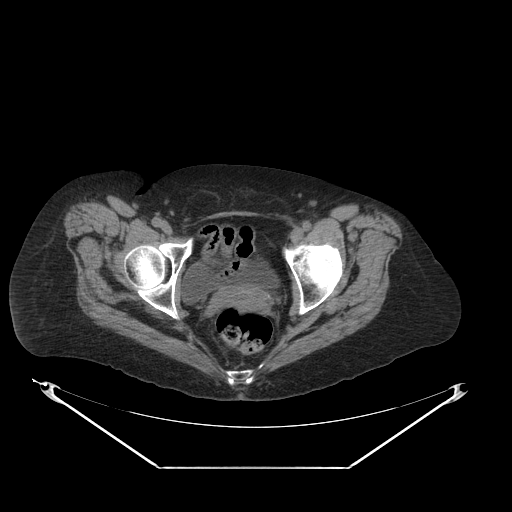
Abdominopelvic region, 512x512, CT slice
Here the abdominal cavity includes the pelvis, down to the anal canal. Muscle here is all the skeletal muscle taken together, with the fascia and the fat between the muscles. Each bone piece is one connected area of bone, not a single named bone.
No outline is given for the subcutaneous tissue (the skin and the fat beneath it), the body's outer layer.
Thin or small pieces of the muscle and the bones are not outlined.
The muscle is outlined by [[102,193],[123,197],[142,215],[173,221],[228,210],[276,212],[299,218],[318,216],[341,204],[368,204],[395,219],[402,240],[390,258],[389,287],[375,317],[339,341],[266,373],[258,384],[250,384],[254,380],[253,367],[260,369],[265,364],[262,360],[290,322],[291,275],[298,292],[297,314],[314,309],[334,291],[343,275],[339,248],[329,242],[287,246],[290,228],[279,219],[256,215],[202,220],[186,229],[185,241],[132,247],[122,259],[127,281],[141,299],[174,320],[181,318],[175,291],[184,265],[180,280],[180,304],[187,313],[184,319],[225,368],[222,370],[228,384],[217,384],[188,364],[94,324],[81,310],[76,297],[76,268],[66,247],[64,212],[74,201]]. The torso is outlined by [[209,163],[296,171],[399,208],[458,288],[462,312],[453,336],[352,379],[266,401],[193,397],[139,380],[108,365],[71,357],[41,357],[27,351],[13,331],[8,283],[23,240],[45,201],[62,185],[87,173],[130,169],[143,174],[149,184],[173,170]]. The bones appear in 3 outlined pieces: piece 1: [[190,237],[193,240],[192,251],[184,261],[175,282],[174,301],[177,313],[180,318],[177,320],[153,307],[141,298],[125,275],[123,259],[125,255],[132,248],[140,244],[149,244],[153,246],[157,246],[164,242],[182,243],[185,242]]; piece 2: [[310,243],[315,245],[329,243],[338,248],[343,264],[342,265],[342,275],[333,291],[321,303],[305,313],[299,315],[298,314],[298,308],[299,307],[298,287],[290,267],[284,258],[282,253],[282,248],[284,246],[293,247],[299,244],[309,244]]; piece 3: [[247,368],[252,368],[254,369],[254,372],[253,373],[253,380],[249,384],[245,384],[244,383],[242,383],[238,381],[233,385],[230,385],[228,383],[227,381],[227,376],[223,370],[225,370],[226,369],[231,369],[232,370],[238,370],[239,369],[246,369]]. The abdominal cavity is outlined by [[228,216],[272,218],[283,222],[289,228],[281,248],[283,258],[291,272],[289,322],[285,325],[277,343],[257,365],[238,369],[226,368],[218,361],[186,321],[188,313],[181,304],[182,272],[185,261],[193,251],[194,243],[187,229],[202,221]].